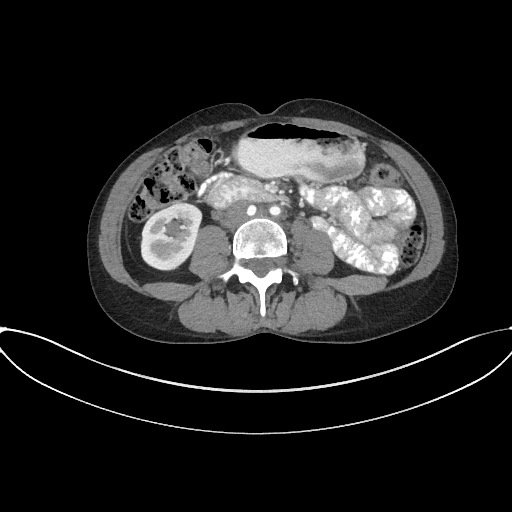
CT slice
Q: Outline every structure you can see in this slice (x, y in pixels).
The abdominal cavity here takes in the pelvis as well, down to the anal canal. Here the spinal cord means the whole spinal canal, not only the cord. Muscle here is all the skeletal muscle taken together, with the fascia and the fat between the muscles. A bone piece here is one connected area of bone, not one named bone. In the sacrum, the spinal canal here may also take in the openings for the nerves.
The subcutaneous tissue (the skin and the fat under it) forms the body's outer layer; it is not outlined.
A: Outlines:
spinal cord: 259 277; 262 277; 264 276; 269 270; 275 268; 276 266; 275 259; 273 259; 272 258; 253 258; 252 259; 249 259; 248 260; 246 260; 246 261; 244 263; 244 266; 252 270; 253 272; 257 276
abdominal cavity: 140 283; 197 281; 188 264; 199 229; 217 225; 231 242; 257 216; 278 222; 288 245; 296 219; 325 234; 335 256; 328 275; 385 275; 390 283; 419 260; 425 219; 404 174; 369 140; 276 119; 251 122; 156 158; 122 225; 124 263
muscle: 204 336; 229 336; 230 335; 234 336; 235 335; 242 335; 248 333; 259 327; 268 327; 275 330; 278 330; 290 334; 295 334; 296 335; 299 334; 308 334; 320 330; 325 330; 333 327; 339 323; 344 318; 347 313; 347 310; 355 303; 355 301; 358 297; 378 292; 391 291; 427 277; 440 262; 442 254; 444 251; 444 243; 445 242; 443 239; 443 218; 442 217; 442 212; 441 211; 439 199; 433 186; 433 184; 424 169; 406 150; 393 142; 377 138; 357 128; 338 121; 327 120; 320 118; 314 118; 313 117; 301 117; 300 116; 276 116; 273 118; 264 118; 263 119; 252 117; 251 118; 245 118; 239 120; 231 120; 221 123; 211 124; 207 126; 201 126; 190 132; 186 133; 170 144; 154 148; 140 155; 122 172; 113 185; 109 193; 102 213; 100 221; 100 231; 98 235; 98 250; 100 258; 105 269; 112 278; 141 294; 153 297; 160 300; 171 302; 173 309; 176 310; 179 321; 186 328 with a hole at 261 317; 270 285; 286 272; 298 282; 280 264; 296 219; 330 241; 330 276; 385 275; 390 283; 415 266; 425 219; 379 146; 272 119; 156 158; 124 215; 127 270; 140 283; 193 283; 198 231; 217 225; 234 256; 217 277; 252 284
bones: 261 317; 265 316; 265 292; 270 285; 281 282; 286 272; 293 284; 298 282; 298 273; 280 264; 280 258; 287 253; 285 232; 265 217; 252 218; 237 228; 232 238; 234 261; 217 275; 225 282; 236 275; 241 283; 252 284; 259 293 with a hole at 259 277; 262 277; 264 276; 269 270; 275 268; 276 266; 275 259; 273 259; 272 258; 253 258; 252 259; 249 259; 248 260; 246 260; 246 261; 244 263; 244 266; 252 270; 253 272; 257 276
torso: 176 344; 222 343; 259 333; 313 343; 362 343; 424 322; 450 296; 458 270; 457 219; 443 180; 399 135; 328 99; 296 98; 265 113; 245 103; 223 102; 171 124; 126 156; 102 186; 88 219; 86 257; 94 297; 113 322; 142 338